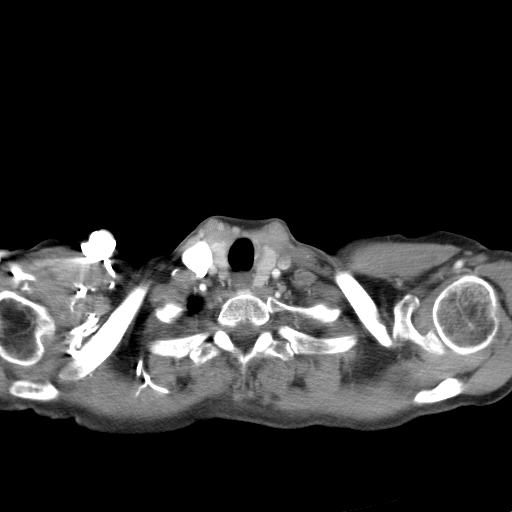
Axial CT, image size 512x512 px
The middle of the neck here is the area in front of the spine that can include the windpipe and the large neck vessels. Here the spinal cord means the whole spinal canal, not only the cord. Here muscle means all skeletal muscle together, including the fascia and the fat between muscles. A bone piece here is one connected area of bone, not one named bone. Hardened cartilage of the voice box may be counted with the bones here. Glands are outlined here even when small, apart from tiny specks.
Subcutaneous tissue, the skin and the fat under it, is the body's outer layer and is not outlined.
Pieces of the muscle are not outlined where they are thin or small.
torso: [[213,214],[279,217],[298,240],[326,252],[359,236],[434,230],[511,250],[511,392],[491,404],[373,432],[285,430],[213,419],[124,435],[30,409],[1,411],[0,248],[29,248],[50,237],[83,240],[86,232],[106,228],[123,255],[140,263],[169,253]]
spinal cord: [[240,323],[242,323],[243,324],[248,323],[252,326],[257,328],[258,330],[258,333],[253,343],[251,345],[251,346],[250,346],[247,349],[243,349],[236,344],[235,344],[235,343],[233,341],[229,333],[229,330],[231,328],[233,328],[235,327],[238,324]]
thyroid glands 1: [[265,245],[275,248],[277,250],[278,256],[274,267],[272,268],[269,273],[268,279],[266,283],[265,283],[262,286],[257,286],[255,285],[253,281],[253,278],[254,277],[254,274],[256,271],[256,266],[260,259],[260,254],[262,251],[262,248]]
thyroid glands 2: [[226,240],[227,241],[227,247],[225,250],[225,261],[226,262],[226,265],[227,266],[226,267],[227,268],[226,269],[227,270],[227,275],[226,277],[223,278],[220,274],[220,270],[213,261],[213,254],[212,253],[212,251],[209,245],[213,242],[224,242]]
middle of the neck: [[234,233],[252,236],[263,245],[252,278],[255,286],[262,287],[267,283],[279,257],[291,258],[291,269],[279,280],[259,289],[234,289],[227,285],[203,312],[187,315],[195,273],[182,261],[182,254],[204,240],[224,279],[228,275],[227,238]]
bones 1: [[240,289],[288,305],[337,306],[341,314],[331,322],[314,323],[288,311],[277,321],[317,337],[355,333],[357,343],[344,352],[299,353],[286,361],[258,356],[244,373],[224,350],[197,366],[187,355],[154,354],[148,349],[150,341],[207,330],[222,302]], around a hole outlined by [[240,323],[242,323],[243,324],[248,323],[252,326],[257,328],[258,330],[258,333],[253,343],[251,345],[251,346],[250,346],[247,349],[243,349],[236,344],[235,344],[235,343],[233,341],[229,333],[229,330],[231,328],[233,328],[235,327],[238,324]]
bones 2: [[337,269],[347,270],[364,288],[389,333],[395,304],[406,294],[417,297],[411,322],[423,335],[435,329],[432,308],[440,292],[463,275],[475,275],[486,280],[497,296],[498,329],[486,347],[465,355],[430,353],[400,338],[386,347],[367,330],[336,283]]
bones 3: [[3,289],[8,289],[14,291],[18,294],[27,298],[29,300],[44,306],[47,309],[55,322],[56,330],[53,338],[51,339],[47,339],[44,342],[44,353],[41,359],[33,365],[30,366],[23,366],[19,364],[9,362],[0,357],[0,290]]
bones 4: [[140,282],[143,282],[148,285],[147,290],[133,319],[119,343],[111,353],[92,371],[91,375],[86,375],[83,378],[77,380],[61,379],[58,375],[59,372],[70,360],[71,357],[69,355],[83,341],[85,341],[98,327],[100,327],[104,323],[128,292]]
bones 5: [[449,377],[458,378],[462,380],[467,385],[467,387],[461,393],[455,396],[449,397],[446,399],[443,399],[433,403],[428,403],[427,404],[417,405],[411,402],[412,399],[416,393],[420,390],[422,389],[431,388],[435,386],[443,379],[445,378],[448,378]]
bones 6: [[17,379],[28,379],[33,382],[39,382],[40,383],[44,383],[48,381],[50,382],[60,392],[60,395],[58,398],[53,400],[50,400],[49,401],[38,401],[37,400],[26,399],[25,398],[22,398],[21,397],[15,396],[9,392],[9,387],[12,382]]
bones 7: [[167,302],[173,302],[174,303],[179,304],[181,306],[186,307],[186,311],[183,314],[183,315],[179,319],[178,319],[173,323],[167,323],[166,322],[163,322],[162,321],[160,321],[154,315],[154,310],[158,307],[162,307],[164,305],[164,304]]
muscle: [[212,218],[244,228],[277,221],[295,244],[330,257],[359,242],[391,241],[451,244],[490,260],[511,261],[511,377],[481,395],[460,394],[468,385],[445,377],[415,393],[410,402],[418,406],[375,421],[289,416],[223,398],[206,398],[170,417],[120,420],[50,401],[61,392],[48,380],[28,378],[9,385],[17,397],[0,397],[0,358],[33,366],[57,330],[44,305],[0,289],[0,259],[65,246],[142,274],[167,262]], around holes outlined by [[234,233],[293,262],[255,295],[341,309],[321,324],[283,311],[279,323],[317,337],[355,333],[357,343],[286,361],[258,356],[244,373],[224,350],[197,366],[152,353],[150,341],[215,321],[229,285],[197,315],[167,323],[154,310],[187,306],[189,247]] and by [[337,269],[347,270],[364,288],[389,333],[395,304],[406,294],[417,297],[411,322],[423,335],[435,329],[432,308],[440,292],[463,275],[475,275],[486,280],[497,296],[498,329],[486,347],[465,355],[430,353],[400,338],[386,347],[367,330],[336,283]] and by [[140,282],[143,282],[148,285],[147,290],[133,319],[119,343],[111,353],[92,371],[91,375],[86,375],[83,378],[77,380],[61,379],[58,375],[59,372],[70,360],[71,357],[69,355],[83,341],[85,341],[98,327],[100,327],[104,323],[128,292]]